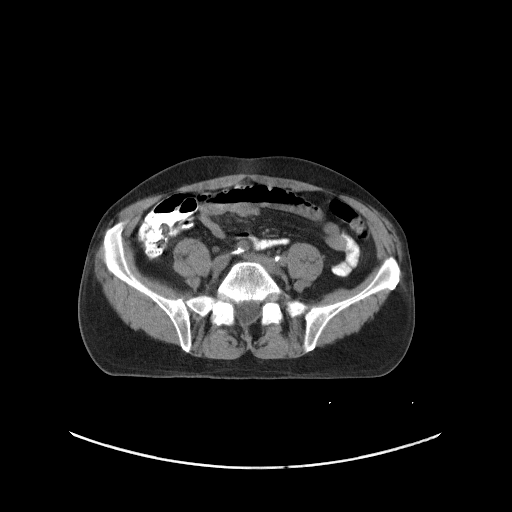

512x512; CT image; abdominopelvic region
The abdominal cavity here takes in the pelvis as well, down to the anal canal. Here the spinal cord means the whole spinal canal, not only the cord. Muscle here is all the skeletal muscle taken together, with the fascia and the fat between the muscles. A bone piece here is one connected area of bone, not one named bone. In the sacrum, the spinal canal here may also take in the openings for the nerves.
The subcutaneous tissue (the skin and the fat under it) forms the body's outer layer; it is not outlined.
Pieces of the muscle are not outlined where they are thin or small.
{"bones":[{"outer":[[120,221],[124,223],[121,236],[127,265],[151,290],[170,299],[214,296],[233,264],[254,261],[288,295],[278,299],[281,321],[244,326],[237,320],[232,325],[216,325],[210,312],[201,316],[191,311],[191,349],[185,352],[166,313],[105,265],[105,232]],"hole":[[244,301],[257,301],[260,303],[260,310],[258,312],[257,315],[256,316],[253,317],[251,319],[250,319],[249,320],[243,320],[239,316],[237,316],[235,314],[235,305],[236,304],[238,304],[239,303],[240,303],[241,302],[243,302]]},[[389,256],[393,256],[400,267],[396,287],[392,290],[380,290],[341,310],[329,320],[314,349],[306,353],[303,348],[306,323],[304,314],[291,317],[285,309],[286,301],[298,300],[304,303],[308,310],[313,306],[332,304],[351,297],[373,279],[383,261]]],"abdominal_cavity":[{"outer":[[244,178],[294,191],[324,193],[346,201],[368,224],[377,264],[354,287],[338,287],[317,300],[306,302],[286,293],[268,270],[254,260],[233,263],[211,294],[194,296],[190,291],[179,290],[144,274],[136,264],[129,237],[145,210],[171,193],[222,188]],"hole":[[184,238],[195,238],[200,240],[208,249],[210,259],[212,262],[212,266],[208,274],[204,277],[200,276],[199,277],[199,283],[194,287],[187,284],[185,280],[174,270],[173,267],[173,258],[174,257],[173,250],[174,247],[180,240],[182,240]]}],"muscle":[[[239,173],[306,182],[353,196],[376,209],[392,224],[401,242],[404,271],[402,285],[398,285],[401,267],[397,259],[389,255],[382,261],[372,279],[357,293],[332,303],[313,305],[308,309],[305,303],[309,301],[317,301],[338,288],[354,288],[378,264],[377,249],[369,224],[355,207],[341,197],[324,192],[294,190],[244,177],[222,187],[175,191],[164,195],[143,211],[128,237],[138,269],[144,275],[165,282],[179,291],[190,292],[193,296],[187,299],[166,297],[135,276],[125,256],[122,236],[125,223],[122,220],[105,230],[101,257],[106,269],[147,296],[165,313],[175,330],[180,347],[131,328],[112,308],[94,275],[95,252],[109,221],[122,209],[140,199],[200,180]],[[280,296],[293,299],[284,303],[291,318],[303,314],[302,348],[305,354],[274,359],[262,359],[250,351],[235,359],[189,354],[192,349],[191,312],[201,317],[210,313],[210,321],[216,326],[232,326],[237,321],[244,327],[254,323],[277,325],[284,317]],[[383,290],[391,291],[387,298],[379,310],[374,314],[372,319],[370,319],[366,321],[357,332],[354,332],[348,335],[346,335],[332,343],[326,344],[321,347],[316,347],[318,340],[322,332],[332,318],[337,315],[341,311],[344,310],[351,305]],[[184,238],[195,238],[200,240],[208,249],[210,259],[212,262],[212,266],[208,274],[204,277],[200,276],[199,277],[199,283],[194,287],[187,284],[185,280],[174,270],[173,267],[173,258],[174,257],[173,250],[174,247],[180,240],[182,240]],[[297,242],[303,242],[314,246],[319,251],[323,257],[323,267],[320,274],[314,279],[308,286],[304,287],[301,291],[298,291],[295,289],[293,286],[293,279],[290,276],[288,272],[288,268],[286,264],[286,256],[287,255],[287,252],[289,248],[294,243]]],"torso":[[[206,154],[242,157],[286,155],[308,159],[352,179],[392,213],[407,238],[415,298],[412,339],[404,357],[393,370],[379,377],[344,379],[150,378],[113,376],[102,371],[94,363],[80,335],[77,296],[87,248],[100,218],[115,201],[149,176],[179,161]]],"spinal_cord":[[[244,301],[257,301],[260,303],[260,310],[258,312],[257,315],[256,316],[253,317],[251,319],[250,319],[249,320],[243,320],[239,316],[237,316],[235,314],[235,305],[236,304],[238,304],[239,303],[240,303],[241,302],[243,302]]]}